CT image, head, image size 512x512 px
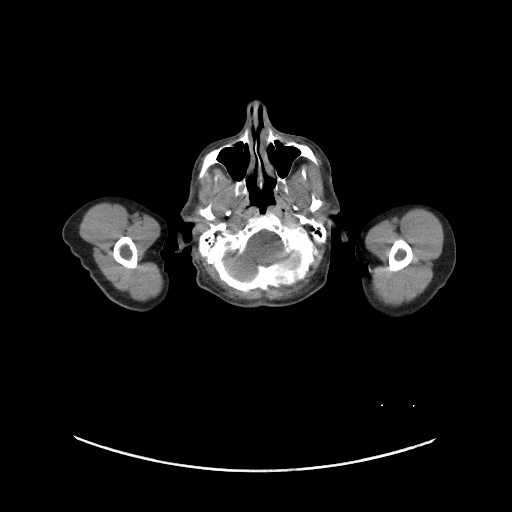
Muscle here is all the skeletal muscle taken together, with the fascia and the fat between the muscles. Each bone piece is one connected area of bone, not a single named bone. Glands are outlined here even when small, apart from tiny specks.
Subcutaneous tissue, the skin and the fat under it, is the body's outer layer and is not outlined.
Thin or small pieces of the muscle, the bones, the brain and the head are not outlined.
The brain is outlined by 262,230 275,234 282,244 281,254 284,256 289,255 289,257 268,265 258,264 256,266 256,272 252,277 249,278 242,279 234,275 226,266 224,257 228,252 235,253 239,256 241,255 246,250 250,238. The right arm is outlined by 108,195 130,198 161,216 167,223 168,236 160,254 164,259 164,268 169,276 169,291 163,303 153,311 133,311 108,299 89,276 88,272 81,266 78,258 70,252 62,239 62,227 67,218 76,209 93,198. The left arm is outlined by 409,202 423,203 432,206 443,213 447,218 455,238 456,262 446,284 426,305 409,316 403,318 390,318 375,311 366,301 362,292 361,277 368,273 368,269 365,264 356,259 354,246 362,228 369,220 393,206. The head is outlined by 252,99 265,104 277,129 307,137 323,150 340,205 337,216 347,225 346,243 336,230 332,233 325,284 284,307 227,303 197,285 189,246 175,253 176,232 188,241 194,225 179,214 193,164 206,145 241,129 with holes at 239,142 241,142 244,145 245,144 247,146 247,150 248,151 248,158 247,159 247,163 246,164 245,173 243,177 239,180 236,180 234,179 229,174 226,166 218,159 218,157 221,152 224,149 226,148 231,148 and at 263,169 266,175 274,180 274,185 272,190 274,203 267,205 264,211 262,212 257,205 250,204 249,192 247,187 247,180 248,178 250,178 253,175 255,170 256,170 256,184 257,187 260,190 262,189 264,183 and at 276,141 280,142 286,147 293,147 297,149 299,152 291,162 287,175 283,177 279,175 274,163 269,156 269,153 268,152 268,148 270,145 272,145 274,148 276,147 276,145 275,144 276,143 275,142 and at 259,108 260,108 260,109 261,110 261,112 262,113 262,122 263,123 263,125 259,131 258,136 257,137 256,137 254,135 254,132 255,132 257,130 257,129 258,128 258,125 259,124 259,120 258,119 258,109. The parotid glands appear in 2 outlined pieces: piece 1: 193,210 194,210 195,210 196,211 196,212 197,213 197,214 197,215 197,216 197,217 196,217 195,217 194,217 193,217 192,217 191,217 192,216 191,215 191,214 192,213 192,212 192,211; piece 2: 327,204 328,204 329,204 330,204 329,205 329,206 329,207 328,208 328,209 327,209 326,210 325,209 325,208 325,207 326,206 326,205. The bones appear in 4 outlined pieces: piece 1: 255,109 256,138 265,124 309,146 318,163 299,157 288,174 299,150 270,144 288,188 270,209 284,223 296,205 323,223 326,241 302,279 244,292 199,252 210,222 197,210 211,203 212,222 235,233 252,206 263,213 275,203 275,180 263,168 260,189 255,169 249,203 235,196 249,158 241,141 218,155 226,169 198,174 208,152 255,121 with a hole at 262,230 275,234 282,244 281,254 284,256 289,255 289,257 268,265 258,264 256,266 256,272 252,277 249,278 242,279 234,275 226,266 224,257 228,252 235,253 239,256 241,255 246,250 250,238; piece 2: 121,236 129,236 135,244 135,246 137,249 137,266 135,268 128,268 127,267 125,267 120,263 117,262 113,257 113,254 112,253 112,252 113,251 113,247 114,246 114,244 115,243 115,242; piece 3: 399,238 403,239 406,242 407,242 408,244 409,244 411,247 413,256 412,257 411,261 406,266 396,271 390,271 387,269 387,267 389,264 389,262 388,261 388,253 390,250 390,248 393,242 396,239 398,239; piece 4: 312,193 313,193 314,194 314,196 316,198 318,198 319,199 320,199 323,202 323,203 322,204 322,205 317,210 316,210 314,212 311,212 309,210 309,206 310,205 310,204 311,203 311,194. The muscle appears in 6 outlined pieces: piece 1: 412,208 423,208 428,210 439,219 444,234 442,253 437,260 437,265 431,282 419,296 412,301 403,303 399,306 384,305 375,298 370,288 373,262 371,254 365,247 365,236 369,229 380,221 392,216 400,217 with a hole at 399,238 403,239 406,242 407,242 408,244 409,244 411,247 413,256 412,257 411,261 406,266 396,271 390,271 387,269 387,267 389,264 389,262 388,261 388,253 390,250 390,248 393,242 396,239 398,239; piece 2: 100,202 119,203 130,212 138,211 151,216 160,225 160,234 154,243 154,250 156,264 163,278 163,287 156,297 143,302 132,299 127,293 117,290 105,278 94,262 89,245 78,233 78,226 85,212 90,207 with a hole at 121,236 129,236 135,244 135,246 137,249 137,266 135,268 128,268 127,267 125,267 120,263 117,262 113,257 113,254 112,253 112,252 113,251 113,247 114,246 114,244 115,243 115,242; piece 3: 202,158 197,174 197,178 199,180 208,175 208,170 213,165 221,166 234,180 234,196 243,196 255,210 255,214 250,216 244,225 235,232 228,229 227,223 223,220 213,222 216,216 211,202 194,209 197,199 195,182 198,166; piece 4: 312,149 319,154 323,163 324,191 329,203 324,207 321,220 296,212 299,208 293,204 291,208 294,212 285,212 284,222 271,209 279,206 280,188 285,194 289,191 287,176 299,158 305,158 316,166 319,165; inner edges: 312,193 313,193 314,194 314,196 316,198 318,198 319,199 320,199 323,202 323,203 322,204 322,205 317,210 316,210 314,212 311,212 309,210 309,206 310,205 310,204 311,203 311,194, then 302,168 304,168 305,169 305,172 306,173 306,179 303,179 303,178 302,177 302,175 301,174 301,169; piece 5: 325,243 323,260 311,285 302,293 283,299 245,300 229,297 205,279 196,257 197,245 198,252 208,264 213,266 219,278 236,290 244,293 255,289 267,291 270,287 291,286 302,280 316,258 321,257 316,244; piece 6: 198,215 201,216 203,218 204,218 209,222 208,223 208,227 206,229 203,230 200,233 200,234 199,235 199,234 200,233 200,230 202,227 202,225 201,224 200,221 198,219.